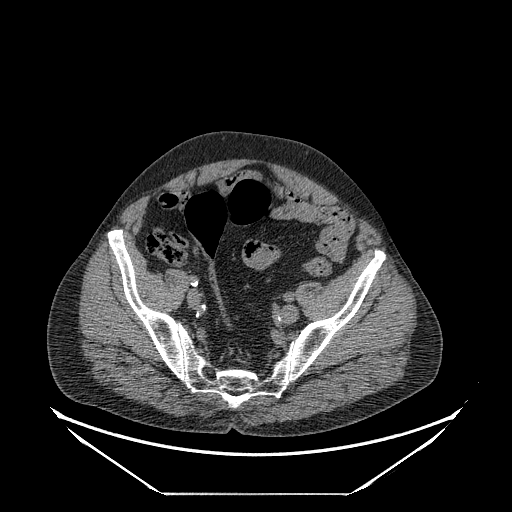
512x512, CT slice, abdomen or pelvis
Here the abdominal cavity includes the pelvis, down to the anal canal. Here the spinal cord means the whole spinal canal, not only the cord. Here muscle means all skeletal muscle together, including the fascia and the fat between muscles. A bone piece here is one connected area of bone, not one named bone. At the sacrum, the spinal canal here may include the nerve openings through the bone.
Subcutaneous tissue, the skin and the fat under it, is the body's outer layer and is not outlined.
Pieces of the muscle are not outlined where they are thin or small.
The spinal cord is outlined by 227,390 230,390 231,391 243,391 243,392 242,393 241,393 240,394 237,394 236,395 235,395 234,394 231,394 230,393 229,393 227,391. The abdominal cavity is outlined by 251,164 269,168 314,204 337,204 349,211 358,221 354,239 360,252 325,284 306,281 297,288 309,322 269,371 261,373 220,368 199,353 186,328 170,314 184,299 185,272 151,271 135,239 152,195 203,185. The bones are outlined by 118,228 123,230 142,301 180,322 198,353 214,367 248,369 263,376 308,323 327,318 340,309 376,248 386,258 354,315 279,398 256,395 231,408 215,392 191,392 162,359 125,297 121,273 107,238 108,231; inner edge: 227,390 230,390 231,391 243,391 243,392 242,393 241,393 240,394 237,394 236,395 235,395 234,394 231,394 230,393 229,393 227,391. The muscle is outlined by 233,158 263,159 296,170 335,193 379,230 416,300 417,325 411,336 406,373 394,385 303,421 249,425 236,410 219,410 202,419 165,413 99,385 86,370 77,324 79,297 85,267 102,235 141,193 194,167; inner edge: 251,164 358,221 351,265 297,288 310,322 340,309 376,248 386,258 354,315 279,398 256,395 231,408 215,392 191,392 166,365 125,297 107,232 123,230 142,301 170,314 187,276 151,271 136,245 149,199. The torso is outlined by 222,130 267,134 308,144 339,164 361,187 380,213 438,318 443,337 442,358 429,385 355,423 285,437 246,435 232,428 226,433 164,429 76,402 59,390 49,368 46,326 63,275 119,196 146,167 184,140.